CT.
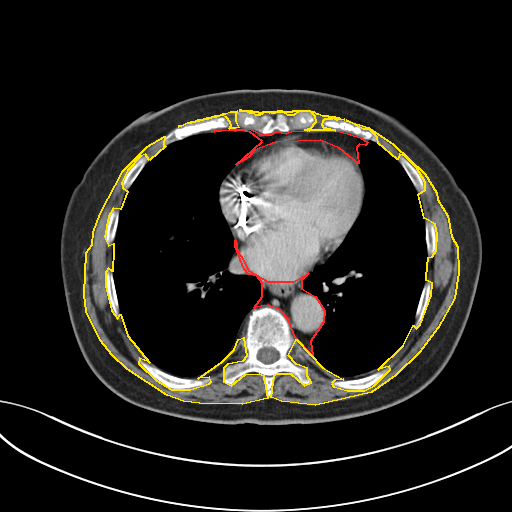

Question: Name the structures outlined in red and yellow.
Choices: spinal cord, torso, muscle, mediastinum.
Answer: red: mediastinum; yellow: muscle.
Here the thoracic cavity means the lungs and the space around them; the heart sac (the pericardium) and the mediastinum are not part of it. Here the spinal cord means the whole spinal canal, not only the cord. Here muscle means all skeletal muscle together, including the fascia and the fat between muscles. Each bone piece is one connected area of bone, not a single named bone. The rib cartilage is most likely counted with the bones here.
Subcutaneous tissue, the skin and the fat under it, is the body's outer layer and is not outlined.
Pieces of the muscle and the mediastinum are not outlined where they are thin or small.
{"mediastinum":[[[235,240],[237,251],[240,255],[248,270],[267,281],[293,281],[308,273],[301,280],[301,288],[315,296],[324,310],[323,322],[310,341],[312,355],[295,337],[288,319],[280,310],[268,305],[254,307],[262,296],[262,283],[257,276],[248,274],[244,269],[235,246]],[[236,128],[251,129],[261,134],[271,134],[276,131],[286,133],[293,130],[340,131],[360,137],[367,142],[365,145],[359,144],[356,147],[358,163],[339,148],[320,140],[275,142],[254,150],[248,157],[236,164],[262,141],[250,132],[239,130],[214,131]]],"muscle":[[[346,120],[368,127],[393,144],[424,173],[436,192],[437,199],[447,215],[451,236],[457,246],[458,272],[454,298],[437,328],[419,352],[395,375],[371,392],[315,405],[281,401],[271,397],[274,375],[277,373],[290,373],[304,385],[311,382],[307,376],[307,368],[296,364],[288,355],[296,339],[322,367],[343,379],[334,380],[331,383],[333,386],[347,390],[364,390],[374,385],[390,369],[389,366],[378,369],[403,345],[413,325],[416,328],[420,324],[431,295],[432,283],[426,280],[426,276],[428,257],[432,256],[436,250],[437,234],[435,224],[424,218],[418,194],[425,189],[425,182],[416,167],[405,156],[399,154],[397,159],[378,143],[377,137],[369,129],[363,129]],[[164,136],[163,145],[165,146],[149,160],[145,154],[140,156],[127,170],[121,182],[122,187],[127,191],[120,209],[113,208],[108,216],[104,237],[108,245],[113,243],[113,249],[112,271],[108,268],[105,272],[105,286],[111,310],[117,318],[120,314],[127,335],[149,362],[139,358],[138,363],[156,380],[171,389],[190,389],[209,383],[211,381],[209,377],[198,378],[222,361],[234,349],[238,339],[243,337],[246,356],[242,361],[227,364],[223,368],[223,381],[231,385],[245,374],[259,373],[263,375],[267,398],[242,404],[199,403],[183,401],[167,395],[127,369],[112,355],[100,340],[86,311],[84,294],[86,252],[92,244],[93,232],[100,213],[123,170],[147,146]],[[239,110],[251,110],[252,111],[257,111],[258,112],[262,112],[263,111],[292,111],[293,110],[309,110],[310,111],[313,111],[316,113],[318,113],[322,115],[327,115],[328,116],[334,116],[335,117],[338,117],[339,118],[344,119],[337,120],[336,119],[334,119],[332,118],[331,119],[324,119],[322,121],[321,124],[323,127],[325,127],[326,128],[329,128],[330,129],[335,130],[309,130],[308,131],[307,130],[305,130],[305,129],[307,128],[310,128],[316,121],[315,116],[310,111],[298,111],[293,115],[288,115],[282,111],[277,111],[274,113],[272,113],[271,112],[270,113],[269,112],[264,112],[259,115],[256,115],[253,113],[249,113],[245,111],[242,111],[241,110]],[[230,111],[237,111],[235,112],[235,121],[238,127],[235,128],[229,128],[231,125],[230,122],[226,117],[221,115],[219,116],[214,116],[213,117],[208,119],[203,120],[197,120],[196,121],[191,123],[187,123],[181,126],[178,126],[187,122],[190,122],[191,121],[195,121],[196,120],[199,120],[200,119],[206,117],[211,117],[212,116],[216,116],[217,115],[222,113],[225,113]]],"pericardium":[[[320,141],[339,149],[359,165],[365,187],[359,215],[343,241],[333,253],[317,263],[305,275],[287,281],[276,279],[267,280],[250,271],[238,251],[236,240],[231,228],[232,226],[228,223],[222,212],[220,204],[221,184],[236,165],[262,147],[280,142]]],"thoracic_cavity":[[[219,131],[250,133],[261,140],[222,180],[219,188],[219,204],[243,269],[248,275],[260,280],[262,293],[256,305],[247,314],[233,349],[202,375],[183,377],[151,363],[128,335],[120,313],[113,274],[114,241],[123,200],[148,161],[173,142],[200,133]],[[368,141],[379,144],[398,161],[417,192],[424,219],[427,268],[414,312],[414,322],[402,345],[375,371],[344,379],[327,370],[312,356],[311,341],[324,322],[325,310],[315,295],[302,288],[302,280],[334,253],[360,215],[366,187],[357,147],[365,146]]],"torso":[[[265,88],[326,92],[379,109],[403,123],[441,160],[467,196],[482,242],[479,277],[464,329],[443,369],[423,389],[397,404],[355,417],[282,425],[222,424],[135,405],[94,374],[72,328],[60,262],[61,230],[69,198],[108,140],[145,113],[199,95]]],"bones":[{"outer":[[264,306],[280,311],[287,319],[296,340],[287,355],[296,365],[306,368],[310,379],[304,384],[290,372],[277,372],[270,397],[266,394],[264,375],[259,372],[245,373],[231,384],[224,381],[223,375],[227,365],[246,358],[243,338],[247,316],[253,308]],"hole":[[264,347],[271,347],[272,348],[274,348],[277,351],[277,352],[278,353],[278,358],[276,360],[275,360],[273,362],[271,362],[270,363],[264,363],[263,362],[262,362],[258,358],[258,353],[259,352],[259,350],[260,349],[261,349],[262,348],[263,348]]},[[238,111],[253,114],[256,116],[264,113],[274,114],[277,112],[282,112],[288,116],[293,116],[298,112],[310,112],[314,116],[315,121],[310,127],[304,129],[293,129],[286,132],[276,130],[271,133],[261,133],[250,127],[239,127],[236,121],[236,112]],[[220,116],[227,119],[230,124],[228,128],[216,129],[213,131],[206,131],[196,134],[192,134],[182,139],[176,140],[166,145],[164,145],[164,138],[165,136],[173,129],[177,127],[181,127],[187,124],[191,124],[197,121],[208,120],[211,118]],[[139,359],[141,359],[150,364],[152,364],[169,374],[171,374],[178,377],[182,377],[183,378],[197,378],[198,379],[209,378],[210,379],[210,381],[202,386],[196,386],[195,387],[191,387],[190,388],[171,388],[166,386],[150,374],[139,363],[138,361]],[[386,367],[389,367],[389,369],[384,374],[384,375],[374,384],[364,389],[347,389],[346,388],[342,388],[341,387],[335,386],[333,385],[332,383],[334,381],[338,381],[339,380],[344,380],[345,379],[356,379],[357,378],[364,377],[380,369],[382,369]],[[332,119],[337,121],[345,120],[348,122],[350,122],[354,125],[359,126],[363,130],[369,130],[376,137],[377,142],[375,142],[372,140],[366,140],[360,136],[355,135],[346,131],[336,130],[329,127],[323,126],[322,123],[324,120],[331,120]],[[399,155],[402,155],[404,157],[405,157],[415,167],[415,168],[420,174],[424,182],[424,189],[422,191],[420,192],[418,192],[416,190],[411,180],[407,175],[406,172],[404,170],[403,167],[401,165],[401,164],[398,160],[398,156]],[[427,280],[430,281],[431,283],[430,295],[428,299],[428,303],[427,304],[424,315],[421,321],[419,323],[419,324],[416,327],[415,327],[414,326],[414,323],[415,322],[415,312],[418,305],[418,302],[420,298],[420,295],[421,294],[423,286],[425,282]],[[145,155],[148,157],[148,160],[147,162],[145,164],[141,171],[138,174],[138,175],[136,177],[132,184],[128,188],[128,189],[125,189],[122,185],[122,182],[123,181],[123,179],[125,175],[127,173],[128,170],[131,167],[131,166],[140,157],[144,156]],[[108,269],[112,272],[113,275],[114,285],[115,286],[115,290],[116,291],[117,300],[119,306],[119,316],[118,317],[114,314],[112,310],[110,304],[110,301],[109,300],[109,297],[108,296],[108,292],[106,286],[106,272]],[[427,220],[428,220],[429,221],[431,221],[434,224],[434,228],[435,229],[435,233],[436,234],[436,242],[435,243],[435,250],[434,251],[433,254],[430,256],[428,256],[428,255],[427,254],[427,248],[426,247],[426,242],[425,241],[425,221],[426,221]],[[113,209],[117,209],[119,211],[119,215],[118,216],[118,222],[117,223],[117,227],[116,228],[116,232],[115,233],[114,240],[112,243],[108,244],[106,241],[106,238],[105,236],[106,235],[106,229],[107,228],[107,224],[108,223],[109,216],[111,211]]],"spinal_cord":[[[264,347],[271,347],[272,348],[274,348],[277,351],[277,352],[278,353],[278,358],[276,360],[275,360],[273,362],[271,362],[270,363],[264,363],[263,362],[262,362],[258,358],[258,353],[259,352],[259,350],[260,349],[261,349],[262,348],[263,348]]]}